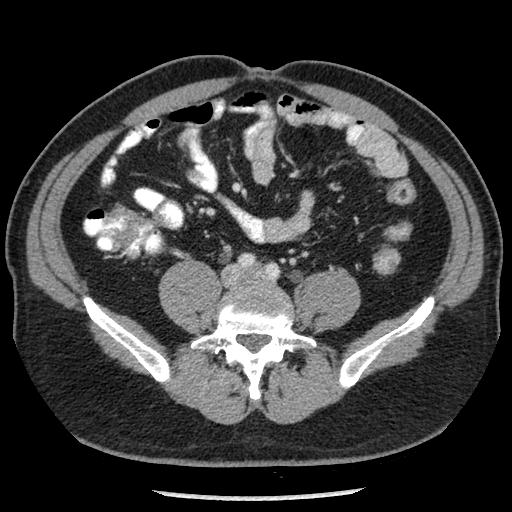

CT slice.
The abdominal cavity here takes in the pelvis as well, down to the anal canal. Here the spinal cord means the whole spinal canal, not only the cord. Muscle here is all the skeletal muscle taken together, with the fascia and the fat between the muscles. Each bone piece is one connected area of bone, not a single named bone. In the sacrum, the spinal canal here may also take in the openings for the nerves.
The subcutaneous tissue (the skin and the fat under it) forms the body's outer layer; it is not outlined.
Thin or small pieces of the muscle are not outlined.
The spinal cord is outlined by [[250,334],[258,334],[259,335],[267,335],[270,337],[270,339],[268,341],[268,342],[267,343],[264,344],[257,351],[251,351],[249,349],[248,349],[243,344],[242,344],[240,342],[239,342],[238,341],[238,339],[237,338],[237,337],[240,335],[249,335]]. The bones appear in 3 outlined pieces: piece 1: [[263,276],[275,280],[289,295],[295,310],[293,330],[314,337],[317,346],[286,351],[281,361],[266,365],[259,381],[261,397],[254,400],[249,397],[249,380],[241,364],[228,365],[223,351],[215,354],[192,349],[190,342],[216,327],[222,296],[234,283]], around a hole outlined by [[250,334],[258,334],[259,335],[267,335],[270,337],[270,339],[268,341],[268,342],[267,343],[264,344],[257,351],[251,351],[249,349],[248,349],[243,344],[242,344],[240,342],[239,342],[238,341],[238,339],[237,338],[237,337],[240,335],[249,335]]; piece 2: [[429,295],[432,295],[434,297],[435,303],[430,314],[422,325],[416,331],[408,333],[387,346],[362,373],[359,380],[353,386],[347,389],[341,387],[338,380],[339,369],[343,359],[356,349],[359,349],[362,346],[370,343],[403,323],[419,306],[423,298]]; piece 3: [[83,294],[88,294],[105,313],[149,347],[158,351],[167,359],[170,367],[170,378],[169,380],[163,382],[156,381],[136,361],[135,358],[126,349],[118,343],[116,343],[111,337],[107,335],[102,329],[94,323],[90,319],[82,302],[82,295]]. The abdominal cavity is outlined by [[258,78],[364,118],[408,147],[449,214],[445,260],[421,301],[342,338],[317,335],[341,328],[361,304],[346,271],[307,275],[293,301],[263,275],[221,297],[207,263],[178,261],[158,297],[189,337],[157,337],[89,294],[62,237],[62,207],[123,129]]. The muscle appears in 2 outlined pieces: piece 1: [[188,260],[207,264],[221,284],[221,305],[215,315],[215,327],[194,337],[189,347],[215,355],[223,352],[228,366],[241,365],[248,380],[248,397],[254,401],[262,397],[260,381],[266,366],[281,362],[286,352],[318,346],[314,336],[293,328],[296,310],[293,302],[302,280],[307,276],[341,270],[351,276],[359,288],[361,301],[352,317],[341,327],[316,335],[327,339],[342,339],[366,332],[379,322],[399,316],[420,303],[403,322],[342,359],[337,382],[341,388],[349,389],[337,402],[317,409],[294,423],[274,422],[255,409],[237,423],[222,424],[172,399],[159,385],[171,378],[168,359],[98,304],[131,317],[157,338],[186,341],[190,335],[165,313],[158,287],[168,268]]; piece 2: [[249,71],[277,73],[296,80],[315,82],[369,101],[443,158],[469,189],[477,205],[484,232],[484,271],[480,283],[467,300],[441,314],[419,354],[403,364],[377,370],[359,381],[387,347],[416,332],[435,306],[435,297],[430,293],[437,283],[452,238],[452,222],[446,202],[410,148],[392,131],[355,113],[332,106],[281,80],[258,77],[238,80],[199,101],[155,114],[123,128],[79,175],[63,202],[59,227],[74,268],[86,282],[88,293],[81,295],[85,312],[94,324],[126,350],[151,377],[127,370],[108,359],[95,342],[86,315],[56,303],[31,283],[25,257],[29,212],[42,181],[63,156],[77,151],[97,134],[118,124],[136,106],[163,92],[199,80],[241,75]]. The torso is outlined by [[210,53],[269,69],[296,59],[318,59],[369,72],[431,109],[477,166],[504,243],[500,330],[474,389],[434,437],[345,463],[207,467],[146,462],[79,441],[30,377],[12,334],[12,281],[4,257],[7,218],[23,176],[56,132],[99,96],[165,61]].